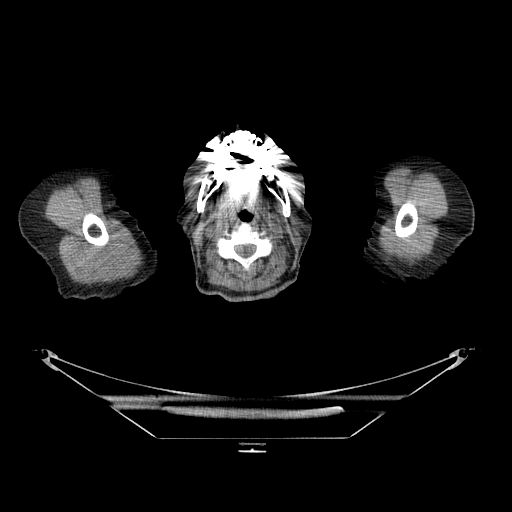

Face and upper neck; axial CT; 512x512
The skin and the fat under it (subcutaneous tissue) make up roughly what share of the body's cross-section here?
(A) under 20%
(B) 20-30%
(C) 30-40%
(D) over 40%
Answer: (C) 30-40%
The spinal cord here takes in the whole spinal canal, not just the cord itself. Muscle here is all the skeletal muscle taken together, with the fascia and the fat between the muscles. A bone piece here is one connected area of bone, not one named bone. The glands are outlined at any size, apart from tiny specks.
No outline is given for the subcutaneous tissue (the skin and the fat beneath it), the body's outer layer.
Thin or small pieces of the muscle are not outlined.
Outlined structures:
muscle 1: 234,128 248,129 230,131 216,146 198,189 195,206 199,214 205,211 207,200 225,179 228,151 246,143 261,156 263,182 280,203 281,214 285,218 291,215 290,193 273,166 272,152 266,142 250,130 265,138 299,186 299,214 295,213 290,221 302,237 295,266 279,283 261,291 237,292 208,283 197,267 189,227 198,218 189,206 193,175 210,144; inner edge: 243,210 251,214 251,219 247,222 252,229 260,232 265,231 270,236 272,243 271,252 267,256 258,257 254,260 247,271 236,260 221,257 217,253 216,247 218,238 226,230 229,232 235,225 241,223 239,214
muscle 2: 80,176 93,176 99,180 107,201 116,215 131,231 141,248 145,256 145,263 133,277 112,283 94,283 90,285 79,284 70,279 62,265 57,253 54,231 42,215 40,205 42,198 48,190 58,184 69,181 with a hole at 88,212 92,212 96,215 97,215 103,221 104,223 104,225 108,233 109,238 108,239 108,241 107,243 103,246 96,246 88,242 86,240 83,234 83,231 82,230 82,222 83,221 83,217 84,215
muscle 3: 400,165 419,167 437,174 442,182 444,183 447,192 447,198 449,200 448,215 442,219 439,241 431,258 411,267 389,265 379,258 373,245 378,228 383,221 388,209 387,197 385,187 383,184 384,176 388,171; inner edge: 408,201 413,203 416,207 417,215 418,216 417,217 417,226 415,231 412,234 405,238 401,238 398,237 395,234 395,230 394,229 395,226 395,220 396,219 397,213 400,208 400,206 404,202 407,202
parotid glands 1: 295,214 296,215 299,215 302,218 302,219 303,220 303,221 304,222 304,223 306,225 306,230 305,231 305,232 304,233 301,233 298,230 297,230 293,226 293,225 291,223 291,221 292,220 292,217
parotid glands 2: 189,211 193,211 194,212 195,212 197,214 197,218 196,219 196,221 195,222 194,222 192,224 191,224 190,225 189,224 188,224 186,222 186,221 185,220 185,214 187,212 188,212
head and neck: 234,123 247,123 266,132 298,166 304,178 303,204 312,217 311,233 300,259 297,279 278,295 268,299 230,302 218,295 207,295 200,292 194,281 189,242 176,222 177,210 184,201 182,180 186,169 210,139; inner edge: 243,210 245,210 247,212 248,212 250,214 251,214 251,219 250,219 249,220 249,221 243,221 240,218 240,217 239,216 239,214 240,213 240,212 241,212
bones 1: 238,129 254,133 269,148 272,166 281,175 289,193 288,217 282,214 281,203 264,182 262,156 254,146 246,142 229,148 224,160 223,181 206,200 204,211 201,213 197,211 199,189 212,163 215,150 227,134
bones 2: 242,221 249,223 253,230 260,232 265,231 270,236 272,243 271,252 267,256 258,257 254,260 250,264 247,271 236,260 221,257 217,253 216,247 218,238 222,236 226,230 229,232 235,225 239,225; inner edge: 248,244 253,244 254,245 255,245 255,250 254,251 254,252 251,255 250,255 249,256 248,256 247,257 243,257 242,256 241,256 240,255 239,255 236,252 236,251 235,250 235,246 236,245 247,245
bones 3: 88,212 92,212 96,215 97,215 103,221 104,223 104,225 108,233 109,238 108,239 108,241 107,243 103,246 96,246 88,242 86,240 83,234 83,231 82,230 82,222 83,221 83,217 84,215
bones 4: 408,201 413,203 416,207 417,215 418,216 417,217 417,226 415,231 412,234 405,238 401,238 398,237 395,234 395,230 394,229 395,226 395,220 396,219 397,213 400,208 400,206 404,202 407,202
left arm: 417,152 436,157 460,176 474,204 474,228 472,234 463,241 447,264 435,276 425,280 410,278 407,284 391,287 370,276 373,271 362,257 362,249 370,235 369,227 373,222 378,202 372,178 374,171 390,160
right arm: 74,166 98,166 113,174 110,187 116,197 116,203 137,219 139,227 159,254 159,271 149,283 130,287 121,295 104,300 96,297 64,299 57,292 50,269 22,237 18,227 17,214 25,195 44,176 56,169
spinal cord: 248,244 253,244 254,245 255,245 255,250 254,251 254,252 251,255 250,255 249,256 248,256 247,257 243,257 242,256 241,256 240,255 239,255 236,252 236,251 235,250 235,246 236,245 247,245